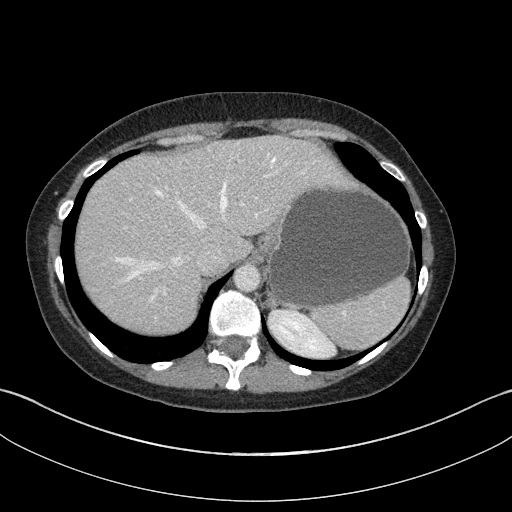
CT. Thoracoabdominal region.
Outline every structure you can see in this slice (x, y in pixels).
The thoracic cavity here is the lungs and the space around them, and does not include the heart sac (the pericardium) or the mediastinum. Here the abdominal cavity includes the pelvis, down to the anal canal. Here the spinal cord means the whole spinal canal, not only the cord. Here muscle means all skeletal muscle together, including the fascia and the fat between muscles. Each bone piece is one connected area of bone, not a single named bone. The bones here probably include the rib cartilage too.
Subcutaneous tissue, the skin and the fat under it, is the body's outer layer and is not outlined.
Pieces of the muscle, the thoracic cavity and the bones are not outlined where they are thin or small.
Outlines (x, y in pixels):
bones 1: [[231,390],[239,389],[240,371],[249,363],[256,361],[260,355],[258,335],[261,331],[261,317],[253,299],[230,289],[223,294],[219,293],[211,307],[208,332],[213,336],[211,342],[214,347],[208,353],[207,359],[227,368],[229,378],[225,387]]; inner edge: [[234,358],[241,357],[244,351],[248,347],[248,343],[246,341],[246,338],[245,337],[242,337],[238,335],[230,335],[229,336],[227,336],[226,337],[224,337],[222,338],[222,342],[220,345],[220,349],[226,354]]
bones 2: [[341,141],[345,139],[346,137],[345,135],[337,132],[333,132],[327,130],[308,129],[305,128],[304,129],[296,129],[290,133],[294,135],[299,135],[300,136],[308,136],[309,135],[323,136],[324,137],[329,137],[330,138],[337,139]]
bones 3: [[162,145],[169,145],[170,144],[175,144],[176,143],[185,143],[190,141],[199,141],[200,140],[202,140],[204,138],[204,136],[199,134],[186,134],[185,135],[177,136],[176,137],[165,137],[164,138],[158,139],[156,141],[158,144],[161,144]]
bones 4: [[401,182],[403,182],[405,181],[406,179],[404,175],[402,173],[402,172],[397,166],[396,166],[393,163],[389,161],[386,161],[385,160],[380,160],[378,161],[379,164],[382,167],[382,168],[383,168],[386,171],[387,171],[390,174],[391,174]]
bones 5: [[417,295],[420,295],[423,292],[426,286],[426,284],[427,283],[427,279],[428,278],[428,269],[427,268],[427,266],[425,264],[422,264],[421,266],[421,268],[420,269],[420,271],[419,272],[419,275],[418,276],[418,281],[417,282],[417,292],[416,293]]
bones 6: [[85,178],[91,175],[93,173],[97,171],[100,168],[101,168],[108,161],[108,159],[107,158],[102,158],[101,159],[98,159],[95,161],[93,161],[91,163],[90,163],[84,169],[84,170],[82,172],[82,175],[83,177]]
bones 7: [[61,221],[63,221],[64,220],[64,219],[67,216],[67,215],[68,214],[68,213],[70,211],[70,210],[71,209],[71,208],[73,205],[73,203],[74,202],[74,199],[66,199],[60,205],[60,206],[58,209],[58,218],[59,219],[59,220],[60,220]]
bones 8: [[356,364],[361,364],[367,361],[369,359],[372,358],[374,356],[375,356],[383,349],[383,348],[387,344],[388,340],[384,341],[382,343],[381,343],[379,345],[375,347],[371,351],[367,353],[363,357],[362,357],[359,360],[358,360],[356,362]]
bones 9: [[63,286],[65,285],[64,284],[64,278],[63,277],[63,268],[62,267],[62,262],[61,261],[61,257],[60,255],[58,254],[55,257],[54,259],[54,268],[55,269],[55,271],[56,272],[57,277],[60,283]]
bones 10: [[110,357],[114,357],[115,356],[115,355],[107,347],[106,347],[90,331],[88,331],[88,334],[89,335],[89,336],[90,337],[90,338],[92,340],[92,341],[96,345],[96,346],[102,352],[103,352],[105,354],[106,354],[108,356],[109,356]]
bones 11: [[421,229],[423,229],[424,228],[425,228],[425,227],[426,226],[426,223],[427,222],[427,221],[426,220],[426,218],[425,217],[425,215],[424,214],[424,213],[422,211],[416,209],[415,210],[414,210],[414,213],[415,214],[415,217],[416,218],[416,220]]
abdominal cavity: [[309,359],[343,358],[377,343],[407,313],[417,281],[406,224],[345,167],[333,147],[340,141],[233,128],[199,142],[136,148],[92,184],[76,223],[74,262],[84,293],[110,321],[143,336],[180,333],[209,286],[255,258],[265,269],[258,306],[270,335]]
muscle 1: [[209,390],[225,389],[228,378],[225,367],[211,364],[206,359],[213,347],[211,335],[208,333],[195,350],[173,359],[174,364],[161,371],[117,355],[110,358],[91,341],[87,328],[69,301],[65,286],[59,283],[53,259],[59,253],[63,222],[57,218],[57,209],[66,198],[75,197],[85,179],[81,172],[88,163],[79,170],[59,200],[48,228],[47,269],[57,308],[95,351],[130,374],[159,385]]
muscle 2: [[256,394],[307,391],[334,384],[375,362],[415,325],[426,305],[432,283],[434,248],[428,216],[410,179],[400,168],[407,179],[402,183],[413,208],[422,210],[428,221],[426,228],[421,230],[422,263],[429,269],[424,292],[420,296],[416,294],[405,319],[388,339],[384,349],[361,365],[354,362],[335,370],[313,371],[309,376],[297,375],[288,368],[289,362],[273,351],[261,332],[261,355],[239,376],[241,387],[238,390]]
muscle 3: [[392,162],[368,141],[339,125],[319,120],[294,117],[261,118],[251,120],[228,119],[225,121],[196,122],[177,125],[153,131],[126,141],[93,160],[102,157],[107,157],[110,159],[119,153],[132,148],[147,144],[154,144],[158,138],[165,136],[199,133],[205,137],[210,137],[218,136],[233,127],[255,126],[263,129],[288,133],[296,128],[305,127],[337,131],[347,136],[343,141],[350,141],[361,145],[377,160],[385,159]]
thoracic cavity 1: [[145,363],[181,356],[203,341],[211,304],[231,272],[210,286],[194,323],[171,337],[130,333],[110,322],[90,303],[73,262],[75,223],[91,184],[118,161],[137,152],[132,149],[112,158],[84,181],[63,224],[60,254],[70,301],[86,327],[114,353]]
thoracic cavity 2: [[417,275],[421,265],[420,229],[415,220],[413,209],[409,201],[408,195],[402,184],[382,169],[371,154],[361,146],[350,142],[337,142],[334,145],[334,147],[346,167],[356,177],[365,182],[380,195],[387,199],[402,216],[404,221],[407,224],[416,256]]
thoracic cavity 3: [[313,370],[335,369],[343,367],[356,361],[375,346],[389,338],[397,329],[404,318],[389,335],[374,346],[353,356],[337,360],[309,360],[287,352],[280,347],[269,335],[264,319],[262,318],[261,321],[262,332],[274,351],[278,355],[291,363],[307,367]]
mediastinum: [[257,304],[259,304],[259,299],[258,298],[259,297],[259,294],[264,289],[264,269],[263,268],[263,264],[255,259],[243,259],[234,267],[234,269],[232,270],[232,274],[224,285],[219,290],[219,292],[220,293],[223,293],[230,288],[235,289],[253,298]]
spinal cord: [[234,358],[241,357],[244,351],[248,347],[248,343],[246,341],[246,338],[245,337],[242,337],[238,335],[230,335],[229,336],[227,336],[226,337],[224,337],[222,338],[222,342],[220,345],[220,349],[226,354]]
torso: [[210,413],[289,411],[375,394],[412,368],[429,339],[455,270],[456,247],[450,219],[394,134],[350,105],[291,91],[212,91],[156,102],[119,118],[88,140],[50,178],[31,209],[25,231],[28,270],[40,313],[60,350],[85,373],[106,385],[169,406]]